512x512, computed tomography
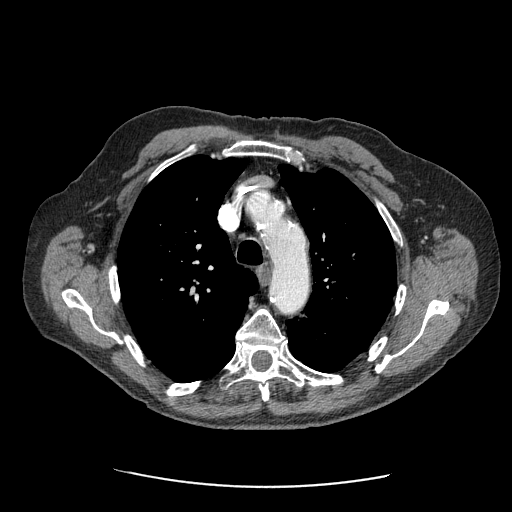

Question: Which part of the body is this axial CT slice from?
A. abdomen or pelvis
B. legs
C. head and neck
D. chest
Answer: D. chest
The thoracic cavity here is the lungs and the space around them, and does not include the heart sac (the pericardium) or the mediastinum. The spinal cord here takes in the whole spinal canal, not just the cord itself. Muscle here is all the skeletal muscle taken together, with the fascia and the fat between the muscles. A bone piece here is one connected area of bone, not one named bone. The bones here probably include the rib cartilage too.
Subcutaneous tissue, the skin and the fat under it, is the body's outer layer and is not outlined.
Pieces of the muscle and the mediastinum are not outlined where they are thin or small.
Outlines (x, y in pixels):
thoracic cavity 1: 209 151; 219 151; 223 157; 244 158; 243 169; 224 194; 216 220; 227 235; 236 262; 255 275; 258 289; 247 299; 241 324; 234 334; 234 352; 219 372; 203 380; 172 381; 146 357; 134 338; 121 302; 117 249; 144 186; 174 163
thoracic cavity 2: 282 162; 296 168; 310 163; 319 169; 328 167; 341 173; 373 203; 394 243; 397 287; 393 305; 376 340; 365 353; 338 372; 310 367; 297 359; 289 349; 286 322; 302 313; 310 299; 314 280; 308 237; 288 192; 280 183; 278 166
torso: 167 105; 253 117; 340 117; 373 127; 402 149; 455 174; 488 209; 499 248; 499 297; 487 323; 461 351; 413 390; 378 409; 328 425; 214 429; 148 409; 77 354; 40 335; 23 302; 21 277; 28 229; 38 206; 75 179; 119 125
muscle: 205 124; 227 125; 247 133; 295 134; 312 139; 325 135; 338 135; 349 138; 359 143; 375 155; 392 173; 396 182; 405 191; 412 202; 429 217; 441 226; 456 228; 469 237; 475 247; 478 260; 475 301; 471 306; 469 313; 447 343; 423 364; 411 371; 393 376; 368 398; 337 413; 323 415; 317 415; 316 413; 298 413; 278 416; 263 409; 259 412; 249 413; 242 416; 207 419; 179 413; 168 408; 163 403; 155 399; 140 385; 130 380; 115 368; 105 355; 77 338; 62 326; 48 308; 41 289; 41 267; 46 247; 51 238; 67 226; 72 225; 96 210; 108 196; 123 173; 136 163; 140 150; 157 133; 171 128, around holes outlined by 249 139; 297 149; 307 163; 336 170; 384 204; 403 241; 394 247; 405 299; 396 316; 391 308; 375 337; 387 336; 383 349; 372 361; 366 352; 348 363; 338 372; 342 384; 299 387; 273 377; 263 401; 256 381; 221 389; 218 372; 191 393; 168 396; 169 377; 146 357; 142 367; 97 331; 83 310; 68 307; 61 292; 77 290; 91 307; 99 327; 127 333; 133 338; 107 272; 147 178; 191 143; 203 154 and by 433 299; 447 300; 449 302; 448 310; 444 314; 435 314; 430 317; 426 323; 422 334; 413 345; 402 354; 393 358; 380 373; 376 373; 374 371; 375 365; 379 363; 386 354; 396 353; 410 342; 419 332; 427 309; 427 306; 429 302
spinal cord: 258 351; 266 351; 270 355; 270 356; 271 357; 271 362; 270 363; 270 364; 269 365; 269 366; 266 369; 265 369; 264 370; 258 370; 257 369; 256 369; 253 366; 253 364; 252 363; 252 357; 253 356; 253 355; 256 352; 257 352
mediastinum: 248 156; 281 161; 277 166; 279 183; 287 192; 307 237; 312 288; 301 313; 285 322; 285 334; 270 310; 264 306; 256 308; 243 321; 248 299; 258 291; 259 282; 250 269; 237 262; 228 235; 217 220; 225 194; 244 169; 244 157
bones 1: 259 307; 269 310; 287 338; 290 353; 297 360; 321 372; 339 373; 344 382; 318 386; 306 383; 299 387; 285 378; 273 377; 268 380; 269 398; 266 401; 262 400; 258 383; 251 379; 243 379; 221 389; 218 376; 235 352; 235 334; inner edge: 258 351; 266 351; 270 355; 270 356; 271 357; 271 362; 270 363; 270 364; 269 365; 269 366; 266 369; 265 369; 264 370; 258 370; 257 369; 256 369; 253 366; 253 364; 252 363; 252 357; 253 356; 253 355; 256 352; 257 352
bones 2: 249 139; 265 140; 274 142; 280 145; 290 146; 294 149; 299 150; 305 157; 306 162; 303 162; 299 165; 295 166; 277 158; 268 156; 256 156; 255 155; 223 156; 223 154; 221 153; 221 150; 225 147; 230 146; 237 140; 248 140
bones 3: 66 288; 73 288; 79 292; 91 307; 94 321; 99 327; 106 331; 114 331; 120 336; 125 333; 132 336; 145 356; 146 366; 142 367; 124 344; 119 344; 112 337; 97 331; 83 310; 76 307; 68 307; 61 296; 62 290
bones 4: 433 299; 447 300; 449 302; 448 310; 444 314; 435 314; 430 317; 426 323; 422 334; 413 345; 402 354; 393 358; 380 373; 376 373; 374 371; 375 365; 379 363; 386 354; 396 353; 410 342; 419 332; 427 309; 427 306; 429 302
bones 5: 374 196; 378 198; 384 204; 384 205; 391 214; 394 221; 396 223; 398 228; 400 230; 401 236; 402 237; 402 240; 403 241; 403 246; 401 248; 399 247; 392 239; 390 232; 384 220; 380 215; 377 208; 375 206; 373 202; 373 197
bones 6: 191 143; 196 143; 198 145; 198 151; 196 153; 192 155; 187 156; 184 158; 182 158; 174 162; 172 164; 169 165; 167 167; 163 169; 148 183; 146 183; 146 180; 147 178; 162 161; 180 152; 186 147; 187 147
bones 7: 197 380; 202 380; 202 382; 200 386; 191 393; 188 393; 187 394; 184 394; 183 395; 177 395; 176 396; 168 396; 166 395; 164 392; 164 389; 170 383; 172 382; 178 382; 179 383; 187 383; 188 382; 192 382; 193 381; 196 381
bones 8: 112 263; 114 263; 117 267; 116 271; 117 272; 117 279; 118 280; 118 283; 119 284; 119 290; 120 291; 120 302; 118 305; 116 305; 112 299; 112 297; 109 290; 109 285; 108 284; 108 275; 107 274; 107 272; 108 271; 109 267
bones 9: 383 335; 386 335; 388 338; 387 339; 386 344; 384 346; 383 349; 376 357; 376 358; 375 358; 372 361; 367 361; 366 360; 366 357; 367 356; 367 351; 368 350; 368 349; 370 347; 370 346; 375 341; 376 341; 381 336; 382 336
bones 10: 402 282; 404 283; 406 286; 406 295; 405 296; 405 299; 404 300; 403 305; 399 313; 396 316; 394 316; 393 315; 393 313; 394 312; 394 308; 393 307; 394 305; 394 299; 396 295; 396 292; 397 291; 398 284